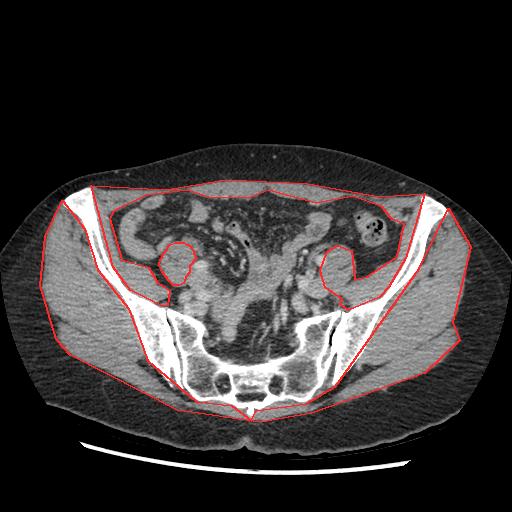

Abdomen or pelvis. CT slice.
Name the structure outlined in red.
red: muscle.
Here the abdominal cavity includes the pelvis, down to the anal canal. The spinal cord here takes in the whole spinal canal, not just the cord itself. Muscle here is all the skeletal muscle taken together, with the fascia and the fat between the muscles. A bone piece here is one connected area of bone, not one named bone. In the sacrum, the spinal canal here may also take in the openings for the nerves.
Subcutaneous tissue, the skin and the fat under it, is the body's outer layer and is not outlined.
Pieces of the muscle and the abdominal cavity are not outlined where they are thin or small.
{"muscle":[[[62,200],[84,228],[97,269],[128,308],[147,360],[196,401],[231,405],[251,420],[256,410],[306,403],[335,386],[419,268],[448,208],[470,246],[452,322],[459,340],[424,373],[311,413],[260,422],[177,410],[70,355],[56,339],[40,285],[45,236]],[[226,179],[307,183],[379,196],[424,193],[405,258],[388,287],[379,297],[348,310],[340,304],[342,299],[325,287],[320,270],[327,251],[337,245],[351,250],[354,279],[367,276],[397,256],[404,224],[392,219],[381,206],[352,196],[316,203],[268,190],[248,198],[208,197],[187,190],[146,195],[113,211],[109,218],[121,259],[148,267],[157,282],[169,290],[167,305],[162,306],[130,290],[113,267],[91,185],[166,189]],[[175,242],[183,242],[186,244],[188,244],[193,250],[193,253],[195,256],[195,259],[189,266],[189,272],[185,277],[183,283],[179,285],[173,285],[169,281],[162,272],[159,264],[160,259],[162,257],[162,255],[164,252],[167,249],[168,246],[170,244]]],"spinal_cord":[[[253,393],[259,393],[260,394],[261,393],[262,394],[264,394],[264,395],[263,396],[263,397],[261,399],[250,399],[249,400],[241,400],[240,399],[239,399],[238,398],[238,397],[237,396],[237,395],[239,395],[240,394],[252,394]],[[221,374],[223,374],[224,375],[225,375],[225,376],[226,377],[227,377],[227,378],[228,379],[228,387],[227,388],[227,389],[224,391],[222,391],[221,390],[220,390],[220,389],[219,388],[219,387],[217,384],[217,379],[218,378],[219,375],[220,375]],[[276,377],[277,377],[278,378],[279,378],[279,379],[280,380],[280,386],[279,387],[279,390],[278,391],[278,392],[277,392],[276,393],[274,393],[273,392],[272,392],[272,391],[271,390],[271,385],[273,382],[273,380],[274,379],[274,378],[275,378]]],"torso":[[[244,142],[320,146],[390,167],[449,196],[506,251],[511,258],[511,272],[499,335],[481,377],[455,415],[399,441],[302,456],[266,454],[244,446],[235,450],[180,449],[46,403],[17,349],[4,303],[0,250],[19,224],[52,190],[78,176],[202,147]]],"bones":[{"outer":[[86,186],[122,283],[202,321],[206,351],[243,364],[290,353],[303,317],[382,296],[406,258],[423,194],[449,213],[431,229],[421,263],[343,377],[306,402],[276,401],[251,419],[244,409],[171,387],[150,363],[129,308],[92,258],[85,228],[63,206]],"holes":[[[253,393],[259,393],[260,394],[261,393],[262,394],[264,394],[264,395],[263,396],[263,397],[261,399],[250,399],[249,400],[241,400],[240,399],[239,399],[238,398],[238,397],[237,396],[237,395],[239,395],[240,394],[252,394]],[[221,374],[223,374],[224,375],[225,375],[225,376],[226,377],[227,377],[227,378],[228,379],[228,387],[227,388],[227,389],[224,391],[222,391],[221,390],[220,390],[220,389],[219,388],[219,387],[217,384],[217,379],[218,378],[219,375],[220,375]],[[276,377],[277,377],[278,378],[279,378],[279,379],[280,380],[280,386],[279,387],[279,390],[278,391],[278,392],[277,392],[276,393],[274,393],[273,392],[272,392],[272,391],[271,390],[271,385],[273,382],[273,380],[274,379],[274,378],[275,378]]]}],"abdominal_cavity":[{"outer":[[180,191],[240,199],[268,191],[316,204],[362,199],[403,224],[397,253],[354,278],[352,250],[330,247],[319,279],[341,307],[295,321],[298,343],[286,354],[227,361],[207,351],[206,324],[167,306],[170,290],[148,266],[122,259],[114,239],[113,212]],"hole":[[175,242],[183,242],[186,244],[188,244],[193,250],[193,253],[195,256],[195,259],[189,266],[189,272],[185,277],[183,283],[179,285],[173,285],[169,281],[162,272],[159,264],[160,259],[162,257],[162,255],[164,252],[167,249],[168,246],[170,244]]}]}